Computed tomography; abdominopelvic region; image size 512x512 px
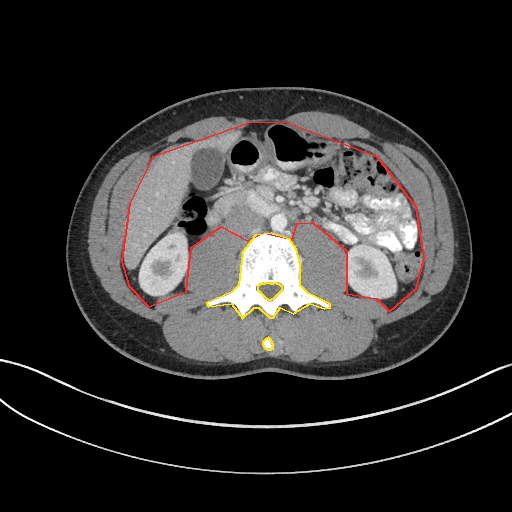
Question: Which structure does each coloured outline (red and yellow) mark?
Answer: red: abdominal cavity; yellow: bones.
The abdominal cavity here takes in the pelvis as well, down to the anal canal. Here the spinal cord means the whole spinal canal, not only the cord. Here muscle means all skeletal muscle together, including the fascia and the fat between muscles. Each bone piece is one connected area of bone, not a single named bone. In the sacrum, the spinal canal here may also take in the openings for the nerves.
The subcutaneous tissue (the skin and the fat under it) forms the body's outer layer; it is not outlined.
{"abdominal_cavity":[[[389,311],[416,288],[424,258],[416,207],[377,157],[284,122],[248,123],[152,157],[129,203],[121,261],[128,285],[148,306],[186,291],[191,247],[221,226],[247,240],[263,232],[292,239],[297,223],[312,222],[346,250],[346,293],[376,298]]],"bones":[{"outer":[[242,318],[254,307],[258,307],[269,317],[273,317],[280,307],[293,313],[310,303],[324,308],[330,307],[330,304],[308,293],[300,285],[300,264],[296,249],[289,239],[271,233],[255,235],[242,252],[238,285],[231,292],[206,303],[208,306],[231,303]],"hole":[[268,299],[271,299],[272,298],[273,298],[282,289],[282,287],[279,284],[277,284],[276,283],[273,283],[272,284],[271,284],[270,283],[264,283],[263,284],[260,284],[259,285],[258,285],[257,286],[257,289],[266,298],[267,298]]},[[267,349],[271,349],[272,348],[273,348],[273,344],[272,343],[272,342],[271,341],[271,340],[268,337],[267,338],[266,338],[262,342],[262,344],[263,345],[263,346],[265,348],[266,348]]],"torso":[[[211,380],[262,372],[318,380],[368,377],[414,359],[446,332],[468,290],[471,234],[453,176],[416,132],[380,109],[340,93],[295,86],[246,87],[169,105],[131,127],[102,154],[80,189],[67,230],[66,270],[76,304],[94,332],[125,357],[165,373]]],"spinal_cord":[[[268,299],[271,299],[272,298],[273,298],[282,289],[282,287],[279,284],[277,284],[276,283],[273,283],[272,284],[271,284],[270,283],[264,283],[263,284],[260,284],[259,285],[258,285],[257,286],[257,289],[266,298],[267,298]]],"muscle":[{"outer":[[229,364],[243,363],[264,357],[275,357],[301,364],[352,359],[369,347],[374,333],[380,327],[412,314],[432,301],[444,289],[454,264],[454,233],[450,208],[440,178],[429,161],[421,153],[406,144],[379,136],[342,115],[319,110],[309,110],[272,119],[246,118],[233,115],[203,118],[124,156],[109,169],[94,198],[87,230],[87,248],[90,262],[102,287],[116,303],[155,322],[162,330],[168,345],[181,356],[195,361]],"holes":[[[242,318],[330,307],[299,283],[290,240],[300,222],[346,250],[346,293],[391,311],[414,291],[419,216],[377,157],[284,122],[152,157],[124,225],[128,285],[152,307],[186,291],[191,247],[229,225],[249,241],[239,283],[206,304],[231,303]],[[267,349],[271,349],[272,348],[273,348],[273,344],[272,343],[272,342],[271,341],[271,340],[268,337],[267,338],[266,338],[262,342],[262,344],[263,345],[263,346],[265,348],[266,348]]]}]}